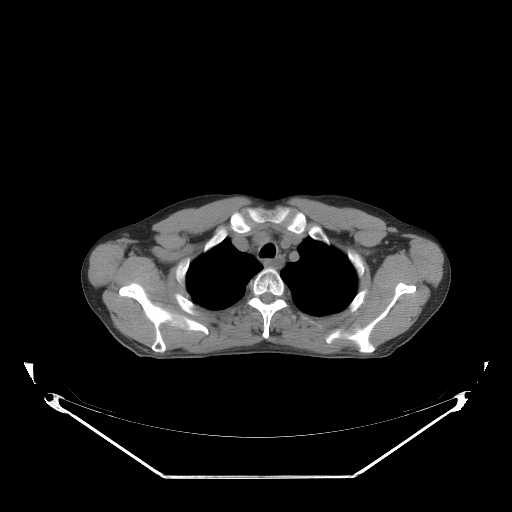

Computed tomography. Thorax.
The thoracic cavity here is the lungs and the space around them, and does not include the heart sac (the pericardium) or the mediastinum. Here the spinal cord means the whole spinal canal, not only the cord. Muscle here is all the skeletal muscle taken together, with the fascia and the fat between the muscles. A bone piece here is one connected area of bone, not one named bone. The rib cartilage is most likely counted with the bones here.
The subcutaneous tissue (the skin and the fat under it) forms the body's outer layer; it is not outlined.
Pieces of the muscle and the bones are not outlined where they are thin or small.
The spinal cord is outlined by 267,292 269,292 270,293 271,293 275,297 275,298 271,302 270,302 269,303 266,303 265,302 264,302 263,301 262,301 262,300 260,298 260,296 262,294 263,294 264,293 266,293. The torso is outlined by 210,193 245,193 265,199 290,194 340,194 375,205 426,229 439,240 451,265 447,296 411,339 377,361 320,361 281,353 233,354 192,361 154,361 138,356 112,336 88,305 80,282 82,261 105,233 180,200. The thoracic cavity appears in 2 outlined pieces: piece 1: 309,236 314,240 320,241 327,245 331,245 346,254 356,272 357,292 347,306 341,311 328,315 312,315 302,311 292,301 290,291 280,275 281,270 288,263 296,262 299,259 300,255 298,252 298,246 305,238; piece 2: 226,238 228,238 231,244 240,252 252,255 261,264 262,268 248,281 245,288 245,293 242,298 221,309 208,309 196,304 190,299 190,295 186,289 186,275 190,264 193,260 202,253 205,253 213,247 218,245. The bones appear in 8 outlined pieces: piece 1: 276,206 288,206 302,212 310,224 323,230 330,244 312,238 305,231 294,233 288,230 285,220 278,224 251,221 249,231 238,233 229,229 223,240 203,252 205,243 218,227 228,226 234,212 244,212 248,207; piece 2: 268,267 274,268 279,273 280,277 289,291 290,299 289,305 287,307 277,310 272,315 269,324 269,336 266,339 262,336 263,317 261,313 256,308 247,305 244,301 244,296 246,293 246,288 249,281 263,268, around a hole outlined by 267,292 269,292 270,293 271,293 275,297 275,298 271,302 270,302 269,303 266,303 265,302 264,302 263,301 262,301 262,300 260,298 260,296 262,294 263,294 264,293 266,293; piece 3: 132,282 142,286 147,296 154,304 201,323 207,328 208,333 205,334 201,330 190,330 164,322 159,326 159,329 166,349 161,353 153,350 150,347 155,339 154,324 146,316 138,301 132,297 119,294 120,287; piece 4: 399,282 413,284 416,288 415,291 412,293 401,294 387,314 372,328 369,334 369,340 376,347 374,351 361,352 354,341 345,338 335,338 331,343 326,342 326,336 337,328 351,334 371,322 391,301 395,287; piece 5: 176,293 179,293 181,294 183,296 188,298 196,305 197,305 198,306 197,308 197,311 199,315 198,316 196,315 193,315 192,314 190,314 184,311 180,307 180,306 178,304 175,298 175,294; piece 6: 187,257 189,257 190,258 190,263 189,264 188,269 185,275 185,286 184,287 182,285 181,285 176,279 176,276 175,275 175,269 178,263 181,260; piece 7: 348,249 351,249 353,251 357,253 360,256 363,262 364,271 363,272 363,274 360,277 358,277 357,275 357,272 354,266 352,264 352,263 350,261 350,260 347,256 347,250; piece 8: 362,289 366,289 367,290 367,292 366,293 366,294 364,297 364,299 363,300 362,303 354,311 353,311 352,312 349,311 347,308 348,305 351,302 351,301 353,299 353,298 356,295 356,294 360,290 361,290. The mediastinum is outlined by 267,227 284,231 287,230 294,234 301,234 305,232 308,235 297,246 297,252 299,255 298,259 296,261 288,262 279,272 271,266 263,267 262,264 252,254 237,249 232,244 231,240 227,237 232,233 245,234. The muscle appears in 2 outlined pieces: piece 1: 235,196 266,207 301,197 362,210 388,226 389,234 367,258 374,268 386,255 407,249 408,240 401,233 410,233 440,248 442,278 416,321 403,333 376,350 370,340 373,328 399,297 416,291 413,283 399,281 390,301 371,321 351,333 337,327 324,338 327,344 335,339 349,340 359,352 372,353 326,354 267,340 211,352 177,348 162,353 167,349 160,329 164,323 205,335 209,330 197,320 154,303 143,286 132,281 120,286 118,294 138,302 153,324 150,349 113,325 88,279 92,251 124,236 134,239 127,247 128,257 152,257 154,223 181,209 with holes at 276,206 302,212 310,224 323,230 332,246 345,254 351,249 360,256 364,271 357,278 357,291 367,290 362,303 352,312 346,307 328,315 312,315 290,299 287,307 272,315 266,339 262,336 261,313 247,305 243,297 221,309 199,305 198,316 184,311 175,294 189,299 190,295 176,279 178,263 187,257 191,262 199,256 216,229 228,226 234,212 and at 303,315 304,315 305,315 306,316 307,316 308,317 309,318 310,319 311,319 312,320 313,321 313,322 312,323 311,323 310,323 309,322 308,321 307,320 306,320 305,319 304,319 303,318 302,317 302,316; piece 2: 285,221 286,222 286,224 285,225 286,230 279,229 272,226 267,226 266,227 261,227 260,228 255,229 253,231 250,231 252,229 251,222 254,222 257,224 263,224 268,222 269,223 272,223 273,224 278,225.